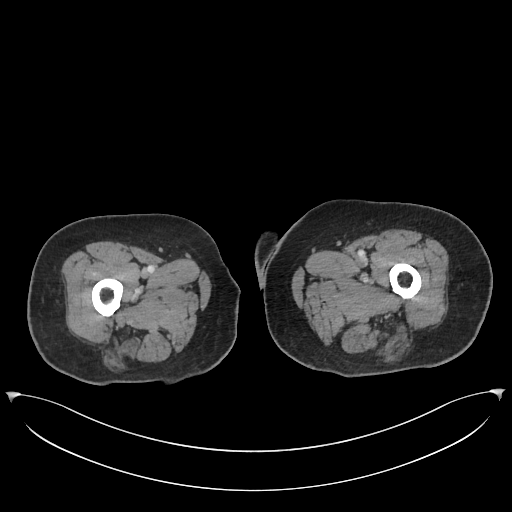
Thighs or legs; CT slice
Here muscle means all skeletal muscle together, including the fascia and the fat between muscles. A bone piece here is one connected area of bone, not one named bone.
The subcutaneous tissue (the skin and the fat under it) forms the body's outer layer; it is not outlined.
Outlines:
left leg: 338,198 428,205 455,215 471,228 489,257 493,286 481,327 465,351 433,367 370,376 344,377 306,367 278,347 267,327 263,292 259,287 256,272 254,252 257,239 264,230 271,228 276,229 282,235 313,207
bones 1: 106,277 114,278 120,281 123,285 123,292 122,293 122,296 120,301 120,305 119,307 113,313 113,314 110,316 104,316 99,313 94,308 92,303 92,300 91,299 91,290 93,285 99,280
bones 2: 398,262 405,262 410,264 416,268 420,274 420,276 421,277 421,286 418,292 414,295 412,298 407,298 405,299 401,297 398,294 395,293 392,290 392,288 390,284 390,281 389,280 389,270 395,263 397,263
muscle 1: 393,227 423,231 444,245 447,251 449,275 449,306 446,316 443,322 434,330 419,338 410,355 396,363 365,362 337,354 322,344 302,317 291,292 290,283 292,269 300,256 313,247 341,245 363,234 378,229, around a hole outlined by 398,262 405,262 410,264 416,268 420,274 420,276 421,277 421,286 418,292 414,295 412,298 407,298 405,299 401,297 398,294 395,293 392,290 392,288 390,284 390,281 389,280 389,270 395,263 397,263
muscle 2: 103,239 131,242 149,250 163,253 188,252 200,259 207,270 212,284 211,294 207,306 208,307 192,341 174,359 136,371 109,371 87,345 69,333 65,324 64,286 60,274 61,266 65,258 76,247 90,241, around a hole outlined by 106,277 114,278 120,281 123,285 123,292 122,293 122,296 120,301 120,305 119,307 113,313 113,314 110,316 104,316 99,313 94,308 92,303 92,300 91,299 91,290 93,285 99,280
right leg: 129,213 173,214 200,225 215,241 223,261 240,289 235,341 221,361 205,373 169,385 163,385 157,381 97,385 78,380 54,369 42,359 34,345 27,323 27,295 32,268 42,245 55,231 75,220 97,215